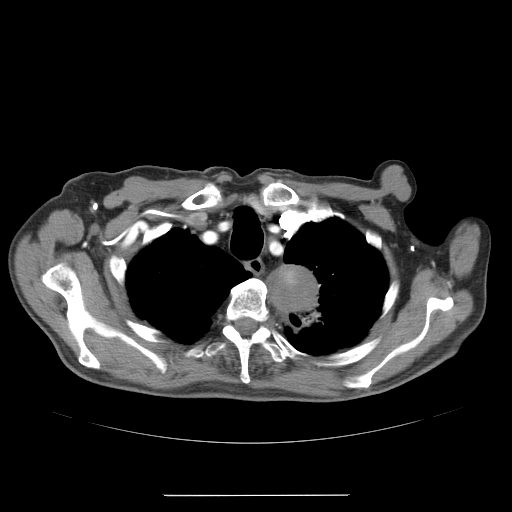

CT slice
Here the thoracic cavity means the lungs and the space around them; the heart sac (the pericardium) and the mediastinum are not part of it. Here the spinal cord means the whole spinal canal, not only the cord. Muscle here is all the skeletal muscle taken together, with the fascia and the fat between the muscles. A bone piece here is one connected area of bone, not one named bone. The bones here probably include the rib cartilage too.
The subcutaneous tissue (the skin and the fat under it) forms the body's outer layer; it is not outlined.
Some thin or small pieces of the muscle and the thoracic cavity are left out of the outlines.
muscle 1: (392, 164) (403, 168) (411, 187) (394, 219) (409, 256) (445, 270) (450, 242) (465, 221) (479, 226) (480, 245) (469, 279) (471, 314) (411, 366) (377, 385) (370, 386) (374, 374) (423, 340) (431, 313) (453, 307) (451, 295) (428, 297) (416, 336) (343, 380) (347, 388) (363, 389) (315, 396) (247, 384) (250, 351) (257, 344) (278, 363) (310, 356) (325, 357) (313, 361) (319, 367) (359, 361) (380, 342) (380, 336) (361, 342) (400, 292) (400, 280) (390, 282) (378, 233) (363, 234) (339, 217) (327, 218) (335, 215) (329, 205) (302, 199) (280, 179) (261, 190) (262, 204) (244, 197) (177, 226) (161, 221) (142, 232) (141, 248) (127, 264) (115, 254) (107, 261) (137, 317) (150, 325) (126, 318) (137, 336) (160, 343) (163, 334) (192, 344) (217, 317) (219, 332) (237, 349) (243, 383) (156, 389) (99, 370) (84, 339) (87, 329) (137, 349) (162, 374) (167, 362) (93, 316) (76, 272) (64, 262) (48, 267) (40, 280) (66, 302) (76, 361) (32, 309) (16, 278) (14, 252) (26, 232) (55, 209) (103, 198) (129, 176) (201, 178) (225, 171) (245, 182) (272, 172) (375, 188) with holes at (207, 182) (211, 182) (213, 183) (220, 191) (220, 193) (222, 197) (222, 202) (221, 204) (217, 205) (216, 206) (212, 206) (211, 207) (204, 207) (203, 208) (195, 209) (194, 210) (189, 210) (181, 206) (181, 203) (186, 198) (187, 198) (195, 192) (201, 189) and at (217, 340) (218, 341) (223, 341) (225, 342) (225, 346) (223, 348) (220, 349) (214, 355) (210, 357) (206, 355) (203, 355) (201, 357) (197, 358) (192, 356) (187, 357) (184, 355) (184, 352) (185, 351) (198, 344) (206, 344) (208, 342) (210, 342) (211, 341) (216, 341)
muscle 2: (301, 204) (305, 204) (307, 205) (307, 213) (309, 215) (308, 217) (305, 212) (295, 207) (286, 207) (285, 208) (279, 208) (278, 209) (274, 209) (273, 210) (268, 210) (264, 206) (266, 207) (268, 207) (269, 206) (271, 207) (287, 207) (292, 205) (293, 206) (297, 206)
bones 1: (251, 277) (260, 279) (267, 286) (266, 301) (277, 323) (276, 328) (292, 346) (309, 356) (294, 360) (287, 357) (278, 362) (267, 349) (259, 343) (254, 344) (249, 351) (250, 380) (246, 384) (240, 378) (238, 349) (220, 332) (222, 324) (218, 314) (224, 308) (231, 288) with a hole at (242, 317) (248, 317) (249, 318) (251, 318) (253, 320) (254, 320) (256, 322) (256, 323) (257, 324) (257, 328) (249, 336) (248, 336) (247, 337) (245, 337) (244, 336) (242, 336) (241, 335) (241, 334) (236, 329) (236, 328) (235, 327) (235, 321) (236, 320) (237, 320)
bones 2: (57, 263) (64, 263) (75, 272) (85, 309) (97, 320) (164, 358) (166, 369) (163, 373) (137, 348) (118, 337) (104, 337) (91, 328) (84, 331) (83, 339) (100, 367) (90, 368) (78, 361) (79, 347) (68, 326) (67, 302) (60, 293) (47, 287) (41, 280) (42, 274)
bones 3: (447, 296) (451, 296) (453, 299) (452, 307) (444, 311) (433, 310) (429, 316) (428, 329) (422, 340) (413, 348) (389, 359) (373, 374) (372, 382) (368, 387) (350, 388) (343, 384) (348, 376) (360, 375) (369, 371) (393, 349) (416, 337) (425, 324) (428, 298) (443, 299)
bones 4: (278, 180) (293, 189) (299, 194) (302, 200) (316, 200) (319, 205) (329, 206) (334, 212) (334, 215) (320, 221) (314, 221) (309, 219) (308, 220) (310, 215) (308, 213) (308, 205) (305, 203) (297, 205) (292, 204) (287, 206) (264, 205) (261, 194) (262, 190) (270, 183)
bones 5: (376, 337) (380, 337) (380, 340) (376, 346) (370, 352) (357, 361) (345, 365) (341, 365) (340, 366) (319, 366) (314, 363) (314, 361) (325, 360) (326, 359) (326, 356) (330, 354) (337, 353) (338, 352) (343, 352) (354, 346) (356, 346) (363, 342) (368, 341)
bones 6: (207, 182) (211, 182) (213, 183) (220, 191) (220, 193) (222, 197) (222, 202) (221, 204) (217, 205) (216, 206) (212, 206) (211, 207) (204, 207) (203, 208) (195, 209) (194, 210) (189, 210) (181, 206) (181, 203) (186, 198) (187, 198) (195, 192) (201, 189)
bones 7: (217, 340) (218, 341) (223, 341) (225, 342) (225, 346) (223, 348) (220, 349) (214, 355) (210, 357) (206, 355) (203, 355) (201, 357) (197, 358) (192, 356) (187, 357) (184, 355) (184, 352) (185, 351) (198, 344) (206, 344) (208, 342) (210, 342) (211, 341) (216, 341)
bones 8: (126, 319) (129, 319) (130, 320) (138, 322) (141, 324) (143, 324) (147, 326) (151, 326) (161, 331) (162, 332) (162, 334) (160, 335) (159, 337) (161, 338) (163, 340) (163, 341) (161, 341) (160, 342) (148, 341) (140, 337) (138, 335) (137, 335) (126, 323)
bones 9: (164, 221) (169, 221) (171, 222) (172, 223) (172, 227) (164, 234) (154, 239) (149, 244) (142, 247) (141, 246) (141, 242) (143, 238) (143, 232) (144, 232) (150, 227) (152, 227) (155, 225) (157, 225) (159, 223) (161, 222) (163, 222)
bones 10: (113, 255) (122, 257) (124, 259) (127, 265) (127, 268) (125, 272) (125, 284) (124, 285) (121, 285) (117, 281) (117, 280) (114, 277) (114, 276) (112, 274) (110, 270) (110, 268) (109, 267) (109, 263) (108, 261) (109, 260) (109, 258)
bones 11: (395, 279) (398, 279) (399, 280) (399, 292) (395, 299) (395, 301) (394, 303) (388, 310) (386, 314) (383, 317) (381, 318) (379, 318) (382, 312) (382, 305) (383, 304) (383, 301) (384, 300) (384, 297) (385, 296) (385, 294) (389, 287) (389, 285) (390, 283) (393, 280)
bones 12: (366, 230) (369, 230) (372, 233) (373, 233) (374, 234) (378, 234) (380, 236) (380, 237) (382, 240) (382, 244) (381, 245) (381, 246) (379, 249) (376, 248) (374, 246) (371, 245) (369, 243) (368, 243) (367, 242) (367, 241) (365, 238) (365, 235) (364, 234) (365, 233)
thoracic cavity 1: (334, 217) (353, 227) (364, 236) (368, 244) (379, 250) (387, 266) (389, 284) (381, 312) (360, 343) (325, 356) (314, 356) (297, 349) (277, 328) (276, 317) (267, 301) (268, 286) (284, 286) (293, 279) (292, 269) (284, 261) (284, 250) (299, 228) (309, 220) (320, 222)
thoracic cavity 2: (178, 226) (187, 228) (205, 245) (216, 246) (223, 250) (252, 275) (230, 288) (228, 297) (223, 307) (217, 311) (217, 316) (213, 319) (209, 330) (192, 343) (179, 342) (152, 326) (145, 319) (138, 317) (132, 308) (125, 285) (128, 264) (139, 251) (173, 227)
spinal cord: (242, 317) (248, 317) (249, 318) (251, 318) (253, 320) (254, 320) (256, 322) (256, 323) (257, 324) (257, 328) (249, 336) (248, 336) (247, 337) (245, 337) (244, 336) (242, 336) (241, 335) (241, 334) (236, 329) (236, 328) (235, 327) (235, 321) (236, 320) (237, 320)
mediastinum: (244, 198) (254, 199) (268, 211) (295, 208) (307, 216) (307, 220) (284, 246) (283, 261) (291, 269) (293, 277) (284, 285) (266, 284) (260, 278) (253, 276) (229, 253) (216, 245) (205, 244) (195, 234) (191, 233) (187, 227) (179, 226) (200, 212) (215, 213)
torso: (392, 158) (415, 177) (403, 212) (420, 239) (439, 243) (474, 214) (489, 226) (491, 251) (477, 328) (453, 357) (385, 392) (342, 402) (246, 401) (96, 385) (63, 364) (14, 293) (58, 252) (53, 225) (34, 210) (81, 173) (219, 165) (241, 175) (270, 167) (369, 179)
right arm: (33, 211) (36, 211) (42, 214) (50, 222) (56, 233) (57, 237) (57, 252) (55, 260) (53, 264) (40, 277) (29, 282) (17, 285) (12, 285) (10, 281) (10, 278) (8, 274) (8, 269) (7, 268) (7, 252) (8, 251) (8, 247) (14, 233)